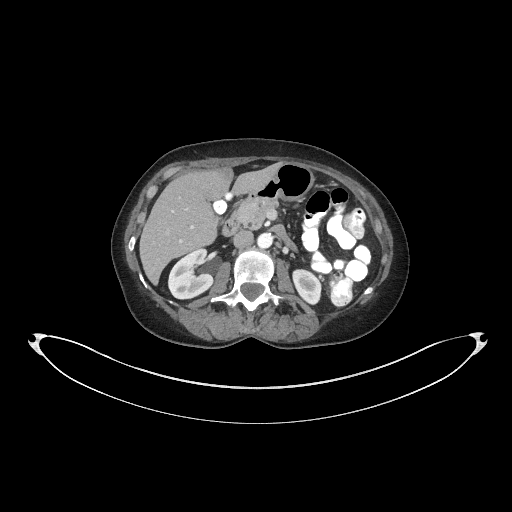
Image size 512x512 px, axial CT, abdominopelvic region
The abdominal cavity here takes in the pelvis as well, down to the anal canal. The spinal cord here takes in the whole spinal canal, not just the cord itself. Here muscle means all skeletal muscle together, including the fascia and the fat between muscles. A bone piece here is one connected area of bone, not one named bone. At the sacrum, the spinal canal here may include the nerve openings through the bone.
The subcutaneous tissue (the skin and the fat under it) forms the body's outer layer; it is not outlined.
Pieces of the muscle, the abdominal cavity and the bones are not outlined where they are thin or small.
Outlined structures:
abdominal cavity: [[318,311],[351,303],[373,279],[380,259],[371,220],[345,184],[300,164],[259,160],[184,168],[159,186],[135,246],[145,279],[159,293],[178,302],[205,295],[222,262],[230,262],[231,273],[237,254],[254,248],[272,256],[274,276],[279,257],[296,294]]
spinal cord: [[250,300],[252,300],[253,299],[254,299],[258,295],[259,295],[261,293],[261,292],[263,290],[263,287],[260,284],[256,284],[255,283],[245,283],[244,284],[243,284],[241,286],[241,291],[242,292],[242,293],[248,299],[249,299]]
torso: [[208,349],[227,347],[248,338],[280,349],[300,349],[344,343],[377,328],[401,298],[410,263],[404,228],[385,194],[341,157],[291,140],[257,137],[207,140],[178,146],[155,160],[134,184],[116,217],[110,239],[114,271],[131,315],[146,331],[166,341]]
muscle: [[284,342],[295,342],[310,337],[313,334],[317,332],[324,325],[334,318],[344,315],[348,312],[357,309],[360,306],[364,305],[377,294],[377,289],[385,280],[389,273],[389,270],[392,261],[392,256],[393,255],[393,238],[391,234],[391,231],[384,216],[383,211],[376,199],[372,194],[359,182],[353,178],[344,174],[342,172],[330,166],[321,163],[318,163],[310,160],[304,160],[290,156],[279,156],[278,155],[274,155],[273,156],[271,155],[255,156],[254,155],[253,156],[234,156],[233,157],[208,157],[203,159],[196,159],[195,160],[180,160],[179,161],[175,161],[169,163],[162,167],[153,175],[141,190],[137,202],[133,207],[130,213],[123,237],[123,245],[124,246],[124,252],[125,253],[125,260],[128,267],[134,274],[134,277],[138,288],[143,294],[148,296],[150,299],[153,300],[155,302],[156,306],[162,308],[165,312],[174,320],[181,324],[182,326],[190,333],[202,339],[209,341],[211,341],[214,339],[215,340],[224,340],[226,341],[236,338],[246,333],[253,333],[271,341],[283,341]]; inner edges: [[248,311],[282,298],[269,287],[278,257],[296,294],[318,311],[370,293],[381,251],[364,206],[337,179],[287,161],[170,168],[158,188],[147,190],[152,200],[127,246],[136,250],[141,282],[171,303],[190,301],[209,291],[228,260],[233,287],[210,300]], then [[379,232],[380,232],[381,231],[381,225],[380,224],[380,223],[379,222],[379,221],[377,219],[377,218],[376,218],[376,219],[375,220],[375,222],[376,223],[376,229]]
bones 1: [[248,311],[253,311],[260,304],[269,300],[277,305],[282,298],[274,294],[269,287],[269,282],[274,274],[273,259],[268,253],[254,249],[242,251],[236,257],[232,269],[234,279],[232,289],[210,300],[212,302],[223,301],[233,307],[239,302]], around a hole outlined by [[250,300],[252,300],[253,299],[254,299],[258,295],[259,295],[261,293],[261,292],[263,290],[263,287],[260,284],[256,284],[255,283],[245,283],[244,284],[243,284],[241,286],[241,291],[242,292],[242,293],[248,299],[249,299]]
bones 2: [[147,198],[151,198],[154,195],[154,194],[156,192],[156,191],[157,190],[157,186],[156,185],[155,185],[154,184],[153,185],[152,185],[151,186],[150,186],[149,187],[149,188],[147,190],[147,191],[146,192],[146,196],[147,197]]
bones 3: [[163,179],[165,179],[166,178],[167,178],[170,175],[171,175],[172,174],[173,174],[175,172],[176,172],[177,171],[178,171],[179,170],[179,167],[177,167],[176,168],[170,168],[168,170],[167,170],[163,174]]
bones 4: [[148,289],[149,288],[149,285],[146,282],[146,281],[144,279],[144,278],[143,277],[143,275],[141,273],[141,272],[139,272],[139,278],[140,279],[140,280],[141,281],[141,282],[143,284],[143,285],[146,288],[147,288]]